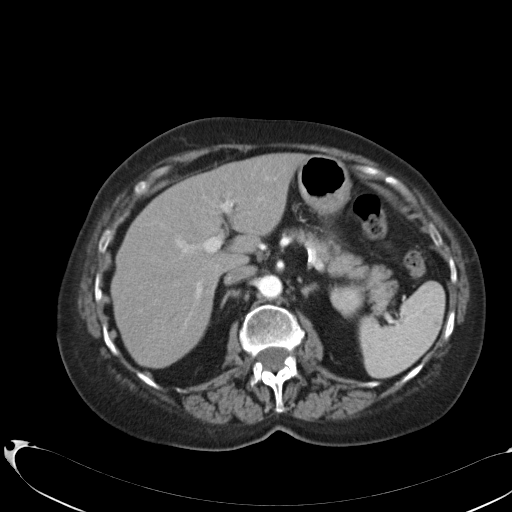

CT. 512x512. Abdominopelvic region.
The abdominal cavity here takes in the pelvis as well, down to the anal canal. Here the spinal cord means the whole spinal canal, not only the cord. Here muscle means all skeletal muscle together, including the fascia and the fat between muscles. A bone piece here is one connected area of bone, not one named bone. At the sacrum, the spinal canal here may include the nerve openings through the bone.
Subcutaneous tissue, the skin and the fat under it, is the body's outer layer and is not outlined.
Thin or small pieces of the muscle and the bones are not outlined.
{"bones":[{"outer":[[263,304],[272,304],[286,308],[295,315],[305,332],[302,342],[293,350],[301,379],[291,377],[283,383],[281,391],[283,402],[282,412],[275,410],[275,396],[270,386],[261,380],[252,386],[250,384],[254,359],[242,348],[239,339],[239,329],[245,315]],"hole":[[271,347],[275,347],[276,348],[284,348],[287,351],[287,355],[283,360],[283,364],[284,365],[275,372],[268,369],[264,369],[263,368],[263,365],[262,363],[259,360],[258,360],[258,358],[257,357],[259,352],[262,350],[264,350],[267,348],[270,348]]},[[357,164],[360,165],[367,165],[368,166],[377,168],[385,175],[389,175],[396,178],[409,190],[413,196],[414,200],[413,201],[407,201],[404,197],[395,189],[390,185],[385,183],[381,179],[372,177],[361,172],[355,167],[355,165]],[[164,165],[169,165],[171,167],[169,171],[167,173],[163,175],[161,175],[157,177],[154,177],[150,184],[150,186],[141,195],[136,198],[134,198],[133,197],[133,189],[134,188],[134,186],[141,180],[145,180],[147,179],[150,176],[150,175],[154,170]],[[106,228],[109,228],[110,229],[111,229],[111,230],[112,231],[112,238],[111,239],[111,240],[110,241],[110,242],[109,243],[109,244],[108,245],[105,252],[104,252],[103,253],[101,253],[98,250],[98,243],[99,242],[100,237],[101,236],[103,231]],[[104,323],[106,324],[107,326],[107,329],[108,330],[108,333],[109,334],[109,336],[112,340],[112,341],[114,343],[118,351],[118,354],[117,355],[115,355],[109,349],[109,348],[106,345],[104,341],[104,339],[103,338],[103,331],[102,330],[102,325]],[[450,311],[454,311],[454,312],[455,313],[455,315],[454,316],[454,327],[453,328],[453,330],[452,331],[451,334],[449,336],[449,337],[447,339],[444,339],[444,329],[445,328],[445,325],[446,324],[446,322],[447,321],[447,318],[448,317],[448,314]],[[429,223],[432,223],[435,226],[435,227],[439,232],[439,233],[440,234],[440,235],[442,238],[442,245],[441,245],[440,246],[436,246],[436,245],[434,243],[434,242],[433,241],[432,238],[430,236],[430,234],[428,231],[428,225],[429,224]],[[97,273],[99,273],[100,274],[100,287],[101,288],[101,290],[102,291],[102,297],[101,298],[101,299],[100,300],[100,301],[99,301],[98,302],[97,302],[95,300],[95,296],[94,295],[94,282],[95,281],[95,277],[96,276],[96,274]],[[421,362],[423,363],[423,366],[422,368],[419,371],[419,372],[412,378],[406,381],[404,383],[402,383],[401,384],[400,383],[400,381],[401,379],[408,372],[409,372],[414,367],[418,365]],[[450,257],[451,257],[453,259],[453,261],[454,262],[454,264],[455,265],[455,267],[456,268],[456,270],[457,271],[457,280],[455,283],[452,283],[450,280],[450,270],[449,269],[449,266],[448,265],[448,260]],[[138,370],[139,371],[140,371],[141,372],[142,372],[144,374],[145,374],[150,378],[151,378],[159,386],[159,388],[158,389],[157,389],[156,388],[155,388],[152,386],[150,386],[148,384],[147,384],[146,383],[145,383],[136,374],[136,373]]],"spinal_cord":[[[271,347],[275,347],[276,348],[284,348],[287,351],[287,355],[283,360],[283,364],[284,365],[275,372],[268,369],[264,369],[263,368],[263,365],[262,363],[259,360],[258,360],[258,358],[257,357],[259,352],[262,350],[264,350],[267,348],[270,348]]],"muscle":[{"outer":[[278,142],[318,144],[324,146],[335,147],[345,151],[361,155],[373,161],[383,164],[393,172],[410,182],[423,195],[433,209],[440,214],[447,225],[452,230],[461,249],[461,254],[464,259],[465,271],[469,283],[469,299],[467,302],[464,320],[455,329],[453,335],[451,337],[450,340],[451,346],[446,355],[446,358],[441,366],[439,374],[426,387],[408,396],[391,407],[383,410],[378,409],[370,413],[360,415],[354,418],[343,419],[337,421],[306,421],[296,418],[287,413],[278,413],[269,417],[266,417],[263,420],[254,424],[243,424],[239,426],[224,426],[217,424],[212,425],[207,423],[202,423],[199,420],[176,412],[171,409],[169,410],[160,404],[151,402],[138,393],[131,391],[127,386],[122,385],[118,381],[116,381],[114,376],[109,372],[106,364],[100,354],[99,348],[87,330],[85,322],[81,317],[77,306],[79,284],[87,255],[87,245],[99,219],[106,208],[111,205],[116,197],[125,189],[126,186],[131,181],[138,178],[143,172],[161,159],[185,151],[221,143],[241,143],[242,144],[265,145]],"holes":[[[264,148],[343,159],[416,225],[434,253],[453,259],[457,280],[446,281],[453,330],[447,339],[442,332],[409,380],[362,387],[332,372],[320,363],[324,345],[303,314],[305,337],[293,350],[301,379],[283,383],[282,412],[270,386],[250,384],[254,359],[242,348],[236,321],[222,372],[183,392],[145,383],[106,345],[104,297],[97,302],[94,295],[96,274],[102,286],[103,231],[111,229],[113,238],[138,202],[172,182]],[[357,164],[360,165],[367,165],[368,166],[377,168],[385,175],[389,175],[396,178],[409,190],[413,196],[414,200],[413,201],[407,201],[404,197],[395,189],[390,185],[385,183],[381,179],[372,177],[361,172],[355,167],[355,165]],[[164,165],[169,165],[171,167],[169,171],[167,173],[163,175],[161,175],[157,177],[154,177],[150,184],[150,186],[141,195],[136,198],[134,198],[133,197],[133,189],[134,188],[134,186],[141,180],[145,180],[147,179],[150,176],[150,175],[154,170]],[[429,223],[432,223],[435,226],[435,227],[439,232],[439,233],[440,234],[440,235],[442,238],[442,245],[441,245],[440,246],[436,246],[436,245],[434,243],[434,242],[433,241],[432,238],[430,236],[430,234],[428,231],[428,225],[429,224]]]}],"abdominal_cavity":[[[264,148],[343,159],[412,221],[447,262],[443,331],[422,360],[392,384],[329,370],[320,363],[324,345],[312,322],[272,303],[249,310],[240,326],[231,324],[222,372],[183,388],[158,384],[113,341],[104,313],[102,267],[114,236],[138,202],[196,171]]],"torso":[[[212,116],[308,120],[361,134],[420,171],[461,223],[482,267],[485,334],[463,391],[440,419],[407,435],[358,446],[313,445],[277,430],[257,443],[214,451],[142,441],[103,421],[82,400],[54,331],[58,288],[90,204],[108,175],[144,143],[179,124]]]}